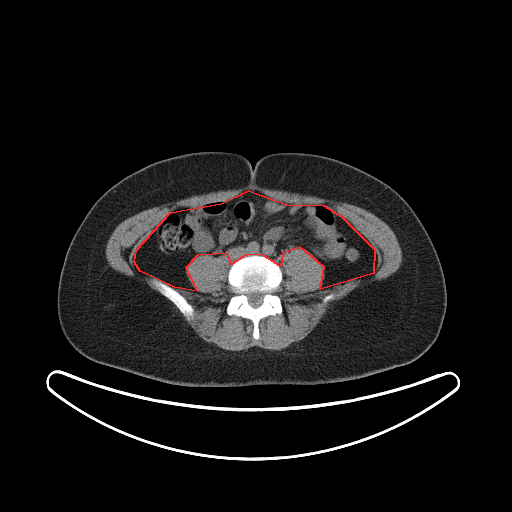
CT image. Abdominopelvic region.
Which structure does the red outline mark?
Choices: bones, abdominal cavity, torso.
red: abdominal cavity.
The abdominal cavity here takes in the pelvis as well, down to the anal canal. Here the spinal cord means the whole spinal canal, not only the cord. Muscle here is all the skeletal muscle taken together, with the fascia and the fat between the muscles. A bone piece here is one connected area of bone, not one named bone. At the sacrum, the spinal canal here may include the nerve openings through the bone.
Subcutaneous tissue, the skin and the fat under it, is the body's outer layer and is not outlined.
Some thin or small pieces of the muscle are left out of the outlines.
Outlines:
abdominal cavity: (248, 190) (286, 204) (323, 205) (341, 216) (374, 249) (373, 273) (320, 289) (324, 267) (300, 247) (282, 253) (280, 266) (261, 254) (245, 255) (231, 264) (227, 253) (197, 255) (185, 268) (197, 291) (174, 287) (140, 271) (134, 262) (136, 250) (170, 212) (221, 203)
muscle: (249, 184) (255, 184) (268, 189) (283, 190) (346, 202) (373, 213) (384, 221) (396, 236) (402, 253) (402, 260) (399, 268) (385, 279) (374, 281) (363, 287) (357, 288) (334, 302) (315, 328) (305, 338) (290, 348) (283, 350) (270, 350) (255, 345) (246, 350) (233, 351) (223, 349) (213, 343) (203, 340) (163, 296) (137, 279) (114, 270) (108, 264) (106, 258) (106, 244) (111, 233) (120, 222) (145, 209) (193, 195) (206, 194) (220, 190) (238, 189), around holes outlined by (248, 190) (286, 204) (323, 205) (341, 216) (374, 249) (377, 261) (373, 273) (320, 289) (324, 267) (309, 251) (297, 247) (282, 253) (278, 258) (282, 280) (274, 292) (280, 298) (282, 312) (261, 318) (259, 339) (254, 339) (250, 319) (226, 312) (234, 294) (228, 283) (231, 266) (228, 254) (197, 255) (185, 268) (197, 291) (174, 288) (193, 308) (193, 316) (187, 319) (155, 287) (151, 280) (156, 277) (136, 267) (134, 254) (170, 212) (221, 203) and by (331, 293) (332, 293) (334, 295) (334, 297) (332, 299) (331, 299) (330, 300) (329, 300) (326, 303) (323, 303) (322, 302) (322, 300) (323, 299) (323, 298) (326, 295) (327, 295) (328, 294) (330, 294)
bones 1: (250, 255) (261, 255) (274, 260) (279, 265) (282, 272) (282, 280) (274, 292) (280, 298) (282, 312) (260, 319) (258, 323) (259, 339) (253, 338) (253, 323) (250, 319) (233, 314) (229, 315) (226, 312) (228, 302) (234, 294) (232, 286) (228, 283) (228, 271) (236, 260) with a hole at (253, 292) (258, 292) (259, 293) (262, 293) (263, 294) (263, 296) (262, 297) (262, 301) (259, 305) (257, 305) (256, 306) (253, 306) (252, 305) (251, 305) (248, 301) (248, 296) (247, 295) (247, 294) (249, 294) (250, 293) (252, 293)
bones 2: (153, 278) (156, 278) (159, 280) (161, 280) (163, 282) (171, 286) (179, 293) (180, 293) (187, 300) (187, 301) (192, 306) (193, 308) (193, 311) (194, 312) (193, 313) (193, 316) (190, 319) (187, 319) (182, 314) (178, 308) (169, 299) (164, 296) (155, 287) (151, 281)
bones 3: (331, 293) (332, 293) (334, 295) (334, 297) (332, 299) (331, 299) (330, 300) (329, 300) (326, 303) (323, 303) (322, 302) (322, 300) (323, 299) (323, 298) (326, 295) (327, 295) (328, 294) (330, 294)
torso: (195, 151) (238, 153) (252, 166) (274, 152) (314, 153) (353, 165) (392, 187) (421, 221) (443, 270) (447, 305) (434, 343) (410, 363) (361, 378) (313, 385) (236, 387) (169, 384) (97, 363) (76, 351) (59, 324) (57, 288) (77, 228) (96, 200) (125, 176) (158, 160)
spinal cord: (253, 292) (258, 292) (259, 293) (262, 293) (263, 294) (263, 296) (262, 297) (262, 301) (259, 305) (257, 305) (256, 306) (253, 306) (252, 305) (251, 305) (248, 301) (248, 296) (247, 295) (247, 294) (249, 294) (250, 293) (252, 293)